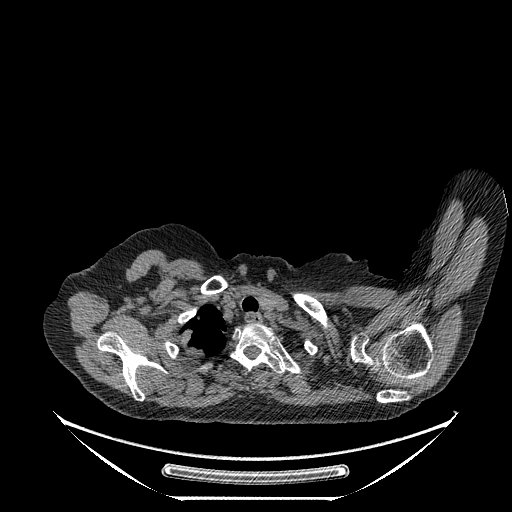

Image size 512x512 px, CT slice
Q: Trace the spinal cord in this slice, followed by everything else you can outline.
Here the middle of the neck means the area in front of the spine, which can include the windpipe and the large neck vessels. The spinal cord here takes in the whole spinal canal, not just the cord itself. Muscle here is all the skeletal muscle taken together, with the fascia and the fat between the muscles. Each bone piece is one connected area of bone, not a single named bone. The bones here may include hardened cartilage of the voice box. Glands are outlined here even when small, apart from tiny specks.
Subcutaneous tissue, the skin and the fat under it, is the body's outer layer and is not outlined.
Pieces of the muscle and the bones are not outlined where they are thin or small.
A: {"spinal_cord":[[[249,346],[255,346],[257,348],[258,348],[259,349],[259,350],[260,351],[259,352],[259,353],[254,358],[249,358],[245,354],[245,353],[244,352],[244,350],[245,349],[245,348],[246,348],[247,347],[248,347]]],"middle_of_the_neck":[[[230,292],[236,298],[249,293],[254,294],[264,310],[272,309],[276,302],[283,304],[287,310],[283,327],[272,327],[258,321],[248,322],[236,325],[232,329],[224,348],[217,355],[197,355],[185,350],[179,344],[182,327],[196,316],[202,306],[211,304]]],"torso":[[[171,222],[198,231],[223,258],[246,252],[279,256],[294,266],[329,252],[366,259],[372,273],[387,278],[353,347],[386,409],[396,417],[369,422],[295,424],[150,420],[124,415],[87,391],[57,360],[60,285],[68,274],[88,267],[132,233]]],"muscle":[{"outer":[[454,196],[485,216],[488,248],[447,369],[411,399],[406,389],[389,386],[376,392],[378,403],[303,406],[257,395],[206,407],[168,407],[144,401],[136,371],[146,366],[169,372],[134,351],[117,332],[102,332],[96,347],[119,357],[132,398],[92,378],[74,357],[68,297],[87,290],[118,307],[136,288],[125,279],[125,270],[145,250],[219,268],[271,266],[301,285],[325,290],[365,285],[403,292],[422,281]],"holes":[[[250,290],[265,292],[285,306],[283,327],[273,326],[272,329],[299,364],[299,374],[289,371],[279,374],[263,362],[246,373],[246,369],[223,350],[217,355],[197,355],[179,344],[182,327],[175,321],[179,313],[193,306],[199,309],[230,292],[235,297]],[[413,322],[420,322],[424,325],[432,342],[434,356],[429,369],[424,375],[412,379],[403,379],[386,370],[374,371],[361,362],[355,363],[352,361],[349,353],[350,344],[355,335],[363,333],[368,340],[364,348],[365,352],[372,358],[379,358],[387,338]],[[292,291],[301,291],[302,292],[305,292],[311,296],[314,297],[318,301],[319,301],[323,306],[327,314],[327,316],[328,317],[328,324],[329,326],[327,328],[324,328],[323,326],[317,320],[313,318],[303,308],[302,308],[293,299],[291,295],[291,292]],[[216,273],[221,273],[223,274],[223,275],[227,279],[228,281],[228,286],[226,288],[225,288],[223,290],[219,292],[216,292],[212,294],[202,294],[200,291],[200,287],[201,285],[208,278],[209,278],[212,275]],[[166,340],[168,340],[169,341],[170,341],[172,343],[173,343],[174,344],[177,345],[179,347],[179,348],[180,349],[180,350],[177,355],[177,357],[175,359],[173,359],[170,357],[170,356],[167,353],[167,352],[164,347],[164,342]],[[306,339],[308,339],[310,341],[311,341],[315,345],[316,345],[317,346],[317,351],[313,355],[310,355],[304,349],[304,348],[303,347],[303,343],[304,342],[304,341]],[[207,361],[210,361],[211,362],[212,362],[213,363],[213,366],[211,368],[210,368],[208,370],[207,370],[204,372],[202,372],[201,371],[198,371],[197,370],[197,367],[198,366],[199,366],[201,364],[202,364],[203,363],[204,363]]]}],"left_arm":[[[470,167],[480,168],[491,174],[499,184],[503,195],[507,214],[507,228],[499,265],[482,320],[462,365],[444,389],[397,417],[387,409],[354,347],[387,279],[401,278],[404,269],[409,266],[418,238],[422,230],[431,223],[446,183],[457,172]]],"thyroid_glands":[[[250,290],[256,290],[260,292],[265,292],[271,295],[275,299],[275,303],[272,308],[270,309],[264,309],[261,306],[260,302],[258,299],[258,297],[254,293],[252,293],[251,292],[245,293],[238,297],[236,297],[236,294],[238,293],[242,293]]],"bones":[[[413,322],[420,322],[424,325],[432,342],[434,356],[429,369],[424,375],[412,379],[403,379],[386,370],[374,371],[361,362],[355,363],[352,361],[349,353],[350,344],[355,335],[363,333],[368,340],[364,348],[365,352],[372,358],[379,358],[387,338]],{"outer":[[254,322],[258,322],[272,328],[291,356],[299,364],[301,368],[301,372],[299,374],[289,371],[285,371],[279,374],[263,362],[255,366],[250,372],[246,373],[246,369],[243,366],[236,360],[226,355],[223,350],[229,340],[233,329],[236,326],[241,326]],"hole":[[249,346],[255,346],[257,348],[258,348],[259,349],[259,350],[260,351],[259,352],[259,353],[254,358],[249,358],[245,354],[245,353],[244,352],[244,350],[245,349],[245,348],[246,348],[247,347],[248,347]]},[[110,330],[117,333],[134,352],[145,355],[149,360],[160,364],[168,372],[166,374],[157,368],[146,365],[140,365],[136,369],[137,385],[145,395],[143,401],[137,401],[133,398],[122,375],[123,364],[120,357],[112,352],[102,351],[97,347],[99,336]],[[292,291],[301,291],[302,292],[305,292],[311,296],[314,297],[318,301],[319,301],[323,306],[327,314],[327,316],[328,317],[328,324],[329,326],[327,328],[324,328],[323,326],[317,320],[313,318],[303,308],[302,308],[293,299],[291,295],[291,292]],[[389,387],[392,387],[393,388],[397,388],[398,389],[404,389],[406,390],[408,392],[410,396],[410,399],[406,400],[405,401],[401,401],[400,402],[389,402],[388,403],[379,403],[376,400],[376,394],[377,392],[381,389],[383,389],[384,388],[388,388]],[[216,273],[221,273],[223,274],[223,275],[227,279],[228,281],[228,286],[226,288],[225,288],[223,290],[219,292],[216,292],[212,294],[202,294],[200,291],[200,287],[201,285],[208,278],[209,278],[212,275]],[[193,306],[196,306],[198,309],[197,310],[197,311],[196,312],[196,314],[194,317],[191,318],[182,326],[181,326],[176,321],[175,321],[175,319],[176,318],[176,316],[179,313],[180,313],[181,312],[183,312],[184,311],[189,309],[191,307],[192,307]],[[166,340],[168,340],[169,341],[170,341],[172,343],[173,343],[174,344],[177,345],[179,347],[179,348],[180,349],[180,350],[177,355],[177,357],[175,359],[173,359],[170,357],[170,356],[167,353],[167,352],[164,347],[164,342]],[[306,339],[308,339],[310,341],[311,341],[315,345],[316,345],[317,346],[317,351],[313,355],[310,355],[304,349],[304,348],[303,347],[303,343],[304,342],[304,341]],[[207,361],[210,361],[211,362],[212,362],[213,363],[213,366],[211,368],[210,368],[208,370],[207,370],[204,372],[202,372],[201,371],[198,371],[197,370],[197,367],[198,366],[199,366],[201,364],[202,364],[203,363],[204,363]]],"right_arm":[[[57,294],[57,328],[56,329],[56,358],[53,355],[53,354],[49,349],[46,343],[46,341],[45,340],[45,338],[43,334],[43,329],[42,328],[42,320],[43,319],[43,314],[44,313],[44,311],[46,307],[56,297]]]}